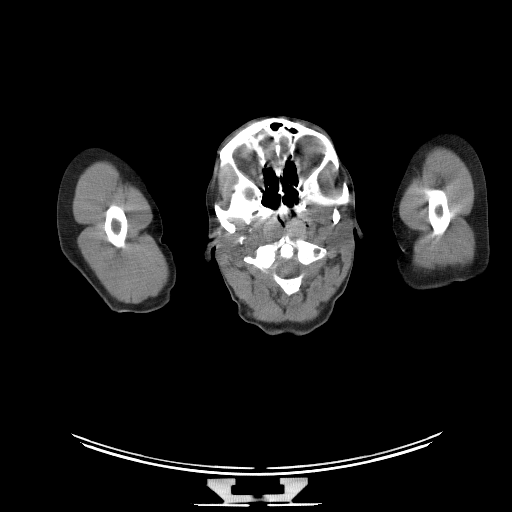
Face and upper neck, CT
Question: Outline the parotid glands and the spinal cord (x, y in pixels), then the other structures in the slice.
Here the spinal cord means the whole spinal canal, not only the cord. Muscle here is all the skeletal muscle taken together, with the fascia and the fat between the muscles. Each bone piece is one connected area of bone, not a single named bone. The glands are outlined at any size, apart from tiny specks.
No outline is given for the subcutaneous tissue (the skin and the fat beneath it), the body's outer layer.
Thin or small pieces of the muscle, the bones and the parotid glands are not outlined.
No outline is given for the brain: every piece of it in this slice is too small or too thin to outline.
Answer: {"parotid_glands":[[[346,217],[349,218],[351,222],[350,230],[351,231],[352,239],[351,240],[351,244],[349,246],[349,249],[346,251],[343,247],[339,249],[329,248],[328,247],[328,242],[330,238],[330,234],[334,234],[335,233],[338,228],[338,226],[341,225],[344,222]],[[216,229],[217,230],[218,230],[219,231],[219,232],[219,233],[220,234],[219,235],[218,234],[218,233],[217,232],[216,231],[216,230]]],"spinal_cord":[[[293,258],[295,260],[296,260],[301,265],[301,267],[299,270],[299,272],[296,275],[294,276],[292,276],[291,277],[282,277],[280,276],[277,273],[276,271],[276,268],[278,265],[277,260],[278,259],[284,259],[285,260],[289,260]]],"muscle":[{"outer":[[98,159],[111,161],[123,178],[135,185],[143,193],[153,215],[149,229],[150,233],[168,263],[169,278],[165,286],[159,294],[149,297],[140,303],[125,303],[113,298],[100,283],[77,247],[78,226],[73,218],[71,208],[74,187],[82,170],[88,164]],"hole":[[111,204],[116,204],[122,207],[123,208],[123,210],[124,211],[124,213],[125,214],[125,216],[127,220],[127,233],[126,234],[126,238],[125,239],[125,246],[121,248],[118,248],[116,247],[107,240],[107,236],[104,230],[105,212],[108,208],[108,207]]},{"outer":[[349,202],[349,217],[329,234],[327,247],[349,250],[350,264],[319,315],[303,323],[252,317],[224,273],[215,217],[231,235],[239,220],[246,225],[254,221],[249,232],[260,225],[265,231],[289,229],[314,204],[332,207],[334,226],[341,218],[337,207]],"holes":[[[289,230],[289,233],[292,238],[300,238],[323,247],[326,250],[326,254],[324,257],[310,263],[304,268],[304,275],[299,290],[291,295],[287,295],[269,274],[265,273],[253,264],[245,262],[243,259],[247,255],[254,257],[255,250],[260,245],[277,240]],[[241,235],[242,235],[243,235],[244,235],[245,236],[245,237],[245,238],[244,239],[243,240],[243,241],[242,242],[242,243],[241,243],[240,243],[239,243],[238,242],[237,242],[237,241],[237,240],[237,239],[238,238],[238,237],[239,236],[240,236]]]},{"outer":[[435,145],[445,146],[455,151],[465,161],[472,174],[474,204],[467,220],[475,234],[476,251],[473,262],[465,267],[448,267],[423,272],[416,271],[412,267],[412,243],[416,236],[402,222],[399,216],[399,203],[410,179],[417,170],[420,170],[426,152]],"hole":[[433,189],[441,189],[443,190],[446,194],[446,201],[447,202],[447,213],[448,214],[448,223],[445,227],[444,230],[441,233],[437,233],[435,231],[435,230],[431,225],[430,223],[430,221],[429,220],[429,199],[428,198],[428,196],[430,192]]},[[218,164],[218,169],[220,172],[225,166],[229,166],[232,169],[235,175],[235,182],[231,185],[232,191],[230,194],[228,203],[224,206],[221,205],[218,202],[215,202],[213,204],[213,206],[213,202],[214,201],[214,187],[215,188],[216,187],[217,183]],[[329,164],[331,165],[331,169],[333,171],[337,171],[339,168],[340,168],[341,171],[347,178],[347,184],[345,181],[343,181],[341,184],[341,191],[340,193],[332,196],[331,195],[327,195],[322,191],[321,189],[321,186],[319,182],[319,175],[320,173]]],"left_arm":[[[443,130],[453,131],[464,137],[472,145],[482,164],[487,188],[490,245],[489,263],[486,270],[477,278],[458,282],[454,285],[438,289],[418,291],[408,287],[400,277],[397,270],[396,259],[401,251],[392,229],[392,206],[396,190],[414,150],[427,136]]],"right_arm":[[[90,146],[108,148],[129,162],[143,179],[159,209],[163,226],[161,240],[169,247],[173,254],[177,268],[177,278],[171,290],[170,300],[155,311],[143,314],[112,311],[82,275],[68,262],[60,249],[56,227],[56,202],[60,180],[71,158],[80,150]]],"bones":[{"outer":[[271,117],[299,122],[332,142],[339,167],[333,170],[329,163],[319,173],[318,182],[321,191],[332,197],[341,193],[343,182],[348,187],[349,201],[336,207],[340,213],[336,224],[333,225],[332,206],[312,203],[306,206],[298,223],[289,228],[281,225],[265,230],[260,224],[249,231],[255,221],[246,224],[239,219],[231,234],[221,226],[214,204],[224,207],[229,203],[236,175],[229,165],[220,171],[219,151],[248,124]],"holes":[[[304,137],[313,137],[323,145],[323,159],[318,163],[317,166],[315,167],[310,172],[310,173],[309,173],[302,178],[301,177],[301,172],[300,171],[300,163],[299,162],[299,159],[298,158],[298,156],[295,153],[295,144],[296,142],[298,142],[302,138]],[[239,145],[242,145],[247,149],[251,151],[255,151],[258,154],[259,154],[259,169],[258,170],[258,176],[259,177],[259,184],[252,181],[250,179],[243,175],[238,169],[237,165],[235,162],[235,159],[234,158],[234,152],[235,151],[235,147]],[[288,161],[292,162],[295,168],[295,173],[297,178],[297,181],[295,184],[291,183],[289,184],[297,193],[297,200],[294,201],[290,205],[286,204],[283,200],[283,197],[285,196],[285,192],[283,189],[283,183],[281,180],[282,177],[285,174],[285,168]],[[266,168],[267,169],[270,169],[273,172],[275,177],[277,179],[277,185],[278,186],[277,194],[280,198],[278,201],[277,205],[275,207],[268,206],[264,204],[263,202],[264,192],[268,188],[268,186],[265,184],[264,181],[264,173],[263,172],[263,170]]]},{"outer":[[289,230],[289,233],[292,238],[300,238],[323,247],[326,250],[326,254],[324,257],[310,263],[304,268],[304,275],[299,290],[291,295],[287,295],[269,274],[265,273],[253,264],[245,262],[243,259],[247,255],[254,257],[255,250],[260,245],[277,240]],"hole":[[293,258],[295,260],[296,260],[301,265],[301,267],[299,270],[299,272],[296,275],[294,276],[292,276],[291,277],[282,277],[280,276],[277,273],[276,271],[276,268],[278,265],[277,260],[278,259],[284,259],[285,260],[289,260]]},[[111,204],[116,204],[122,207],[123,208],[123,210],[124,211],[124,213],[125,214],[125,216],[127,220],[127,233],[126,234],[126,238],[125,239],[125,246],[121,248],[118,248],[116,247],[107,240],[107,236],[104,230],[105,212],[108,208],[108,207]],[[433,189],[441,189],[443,190],[446,194],[446,201],[447,202],[447,213],[448,214],[448,223],[445,227],[444,230],[441,233],[437,233],[435,231],[435,230],[431,225],[430,223],[430,221],[429,220],[429,199],[428,198],[428,196],[430,192]]],"head":[{"outer":[[278,114],[308,120],[331,135],[337,157],[353,181],[356,220],[364,236],[361,239],[355,229],[352,232],[355,248],[350,277],[330,317],[301,336],[269,335],[244,321],[224,283],[215,250],[209,261],[204,256],[209,241],[205,194],[220,142],[251,118]],"holes":[[[288,161],[292,162],[295,168],[295,173],[297,178],[297,181],[295,184],[291,183],[289,184],[297,193],[297,200],[294,201],[290,205],[286,204],[283,200],[283,197],[285,196],[285,192],[283,189],[283,183],[281,180],[282,177],[285,174],[285,168]],[[266,168],[267,169],[270,169],[273,172],[275,177],[277,179],[277,185],[278,186],[277,194],[280,198],[278,201],[277,205],[275,207],[268,206],[264,204],[263,202],[264,192],[268,188],[268,186],[265,184],[264,181],[264,173],[263,172],[263,170]]]}]}